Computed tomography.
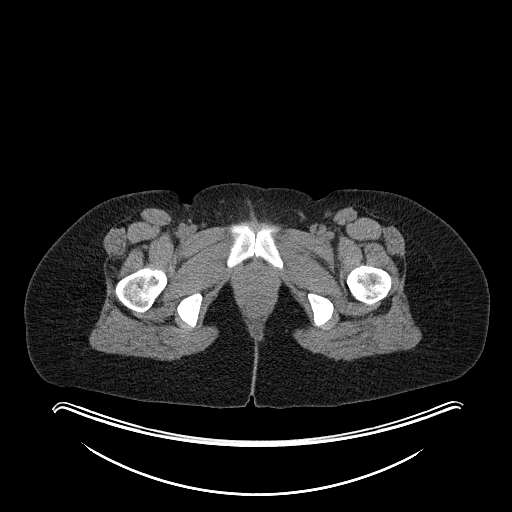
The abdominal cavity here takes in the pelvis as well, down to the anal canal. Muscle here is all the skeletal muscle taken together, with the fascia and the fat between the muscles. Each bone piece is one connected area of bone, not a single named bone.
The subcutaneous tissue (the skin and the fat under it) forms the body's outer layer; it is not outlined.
{"muscle":[{"outer":[[347,206],[370,207],[381,213],[404,238],[404,292],[413,320],[422,333],[414,348],[350,361],[313,353],[292,335],[295,328],[308,323],[308,318],[283,283],[263,329],[264,339],[256,343],[250,339],[228,282],[206,312],[204,322],[216,326],[219,335],[203,351],[162,361],[104,353],[89,345],[88,337],[106,293],[103,238],[121,218],[147,207],[160,207],[168,209],[174,221],[189,234],[255,220],[319,234],[336,211]],"holes":[[[241,223],[246,223],[255,232],[264,224],[276,226],[277,230],[272,235],[283,262],[282,269],[271,267],[277,279],[276,290],[256,333],[252,330],[253,327],[242,308],[233,281],[240,265],[229,268],[226,263],[233,242],[232,234],[228,228],[233,224]],[[143,267],[149,267],[152,269],[161,269],[163,270],[166,274],[166,276],[167,277],[167,283],[165,287],[155,299],[152,305],[147,310],[144,312],[137,312],[134,310],[132,310],[128,308],[119,300],[115,293],[115,287],[116,286],[117,282],[120,279]],[[362,264],[381,268],[388,272],[391,277],[391,281],[392,282],[391,283],[391,287],[387,295],[383,299],[371,305],[368,305],[364,302],[362,302],[359,300],[355,299],[351,295],[350,291],[346,283],[346,277],[349,272],[355,267],[357,267]],[[196,292],[199,292],[202,295],[202,300],[201,301],[201,304],[200,305],[200,309],[199,310],[199,313],[198,314],[198,319],[197,320],[196,325],[192,328],[181,319],[177,312],[177,306],[180,302],[180,301],[184,297],[188,296],[191,294],[193,294]],[[309,292],[311,293],[315,293],[316,294],[324,296],[328,298],[333,304],[333,312],[332,313],[332,315],[331,317],[323,325],[323,327],[319,327],[318,326],[316,326],[314,324],[314,321],[313,320],[313,312],[312,311],[310,303],[307,297],[307,294]]]}],"abdominal_cavity":[[[253,256],[258,258],[259,257],[269,264],[275,273],[277,279],[277,284],[274,297],[267,312],[263,318],[259,329],[256,333],[252,330],[253,327],[242,308],[242,306],[239,301],[237,289],[233,281],[234,275],[236,273],[240,264],[245,260],[251,258]]],"bones":[[[241,223],[246,223],[255,232],[264,224],[274,225],[277,227],[277,230],[274,231],[272,235],[283,262],[282,269],[278,269],[261,257],[254,255],[245,259],[232,268],[229,268],[227,266],[226,261],[230,247],[233,242],[232,234],[228,228],[233,224]],[[143,267],[149,267],[152,269],[161,269],[163,270],[166,274],[166,276],[167,277],[167,283],[165,287],[155,299],[152,305],[147,310],[144,312],[137,312],[134,310],[132,310],[128,308],[119,300],[115,293],[115,287],[116,286],[117,282],[120,279]],[[362,264],[381,268],[388,272],[391,277],[391,281],[392,282],[391,283],[391,287],[387,295],[383,299],[371,305],[368,305],[364,302],[362,302],[359,300],[355,299],[351,295],[350,291],[346,283],[346,277],[349,272],[355,267],[357,267]],[[196,292],[199,292],[202,295],[202,300],[201,301],[201,304],[200,305],[200,309],[199,310],[199,313],[198,314],[198,319],[197,320],[196,325],[192,328],[181,319],[177,312],[177,306],[180,302],[180,301],[184,297],[188,296],[191,294],[193,294]],[[309,292],[311,293],[315,293],[316,294],[324,296],[328,298],[333,304],[333,312],[332,313],[332,315],[331,317],[323,325],[323,327],[319,327],[318,326],[316,326],[314,324],[314,321],[313,320],[313,312],[312,311],[310,303],[307,297],[307,294]]],"torso":[[[226,182],[289,187],[316,199],[343,188],[382,190],[438,215],[466,242],[487,279],[489,325],[478,360],[448,382],[333,407],[256,407],[251,397],[244,407],[212,408],[45,381],[27,352],[24,299],[57,238],[114,196],[169,189],[190,202],[202,188]]]}